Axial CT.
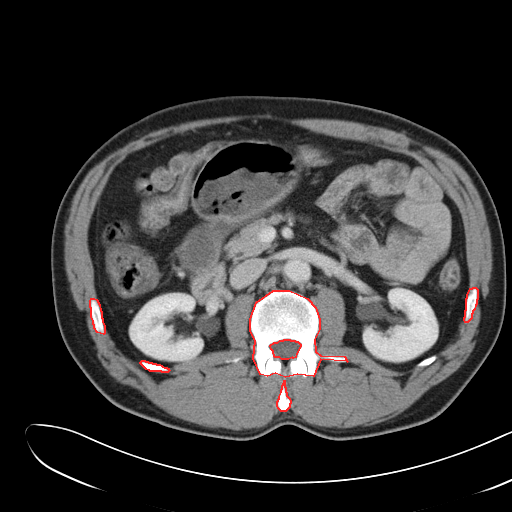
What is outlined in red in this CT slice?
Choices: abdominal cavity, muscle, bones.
red: bones.
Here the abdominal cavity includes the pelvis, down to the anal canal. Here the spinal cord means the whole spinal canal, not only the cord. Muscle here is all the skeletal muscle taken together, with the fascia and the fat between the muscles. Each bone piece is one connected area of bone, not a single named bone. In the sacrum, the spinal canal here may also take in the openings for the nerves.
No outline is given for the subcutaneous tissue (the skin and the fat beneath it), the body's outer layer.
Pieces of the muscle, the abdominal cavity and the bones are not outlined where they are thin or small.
The bones appear in 5 outlined pieces: piece 1: [[273,290],[289,290],[307,298],[315,307],[319,319],[319,329],[314,339],[315,351],[320,355],[344,356],[347,361],[320,359],[313,376],[297,374],[285,377],[275,373],[267,376],[260,374],[253,358],[255,340],[250,331],[250,319],[256,302]], around a hole outlined by [[284,339],[289,339],[290,340],[294,340],[295,341],[297,341],[300,344],[300,346],[296,353],[295,357],[293,358],[292,357],[288,359],[282,359],[279,357],[275,357],[274,356],[273,351],[271,349],[270,345],[274,342],[277,342],[280,340],[283,340]]; piece 2: [[91,298],[94,298],[96,299],[99,304],[100,310],[101,311],[101,317],[102,318],[102,321],[104,326],[104,333],[103,334],[97,332],[94,328],[94,325],[93,324],[93,321],[91,316],[91,308],[90,307],[90,300]]; piece 3: [[473,287],[475,287],[477,289],[477,299],[476,300],[476,304],[475,305],[474,309],[472,311],[472,313],[471,314],[471,318],[467,322],[465,322],[464,320],[464,317],[465,316],[465,310],[466,309],[466,298],[467,297],[467,295],[470,288],[472,288]]; piece 4: [[284,380],[284,386],[285,387],[285,391],[286,392],[286,395],[289,398],[290,400],[290,403],[289,404],[289,407],[285,411],[281,411],[278,408],[277,406],[277,401],[279,398],[279,396],[281,392],[281,389],[282,388],[282,385],[284,382]]; piece 5: [[142,360],[144,360],[145,361],[147,361],[148,362],[151,362],[152,363],[155,363],[156,364],[159,364],[164,367],[166,367],[167,368],[168,368],[168,369],[169,370],[167,372],[162,372],[161,371],[150,371],[149,370],[146,369],[140,363],[140,362]]. The muscle is outlined by [[253,114],[271,114],[284,118],[339,119],[403,132],[457,161],[469,175],[480,196],[491,238],[492,269],[489,291],[483,302],[478,331],[474,337],[475,345],[454,372],[394,417],[367,426],[326,427],[308,423],[290,411],[275,415],[261,427],[239,430],[209,427],[169,414],[137,389],[116,381],[97,356],[85,314],[77,308],[73,299],[64,262],[65,225],[73,197],[84,177],[110,153],[151,131],[193,120]] with holes at [[259,119],[403,153],[444,188],[461,216],[468,289],[477,289],[477,299],[471,318],[460,321],[430,364],[396,370],[344,345],[345,303],[332,288],[312,299],[319,319],[314,349],[347,361],[320,359],[313,376],[260,374],[253,358],[254,300],[249,293],[236,296],[227,308],[228,349],[176,363],[167,372],[146,369],[116,345],[105,327],[103,334],[95,330],[90,300],[98,298],[88,229],[114,169],[133,152],[172,135]] and at [[284,380],[284,386],[285,387],[285,391],[286,392],[286,395],[289,398],[290,400],[290,403],[289,404],[289,407],[285,411],[281,411],[278,408],[277,406],[277,401],[279,398],[279,396],[281,392],[281,389],[282,388],[282,385],[284,382]] and at [[236,357],[241,357],[241,359],[240,360],[239,360],[238,361],[237,361],[236,362],[232,362],[231,361],[230,362],[226,362],[226,360],[227,359],[232,359],[233,358],[235,358]]. The spinal cord is outlined by [[284,339],[289,339],[290,340],[294,340],[295,341],[297,341],[300,344],[300,346],[296,353],[295,357],[293,358],[292,357],[288,359],[282,359],[279,357],[275,357],[274,356],[273,351],[271,349],[270,345],[274,342],[277,342],[280,340],[283,340]]. The abdominal cavity is outlined by [[259,119],[403,153],[441,184],[461,216],[468,291],[455,336],[437,354],[396,370],[344,345],[345,303],[332,288],[312,303],[273,289],[253,307],[251,294],[239,294],[224,318],[230,347],[171,367],[134,360],[116,345],[88,247],[110,175],[164,138]]. The torso is outlined by [[244,94],[325,98],[400,115],[452,141],[483,179],[505,245],[504,319],[482,365],[435,418],[351,440],[327,439],[288,424],[250,440],[220,439],[166,427],[117,407],[72,359],[57,325],[50,267],[54,219],[71,180],[109,137],[156,110],[196,99]].